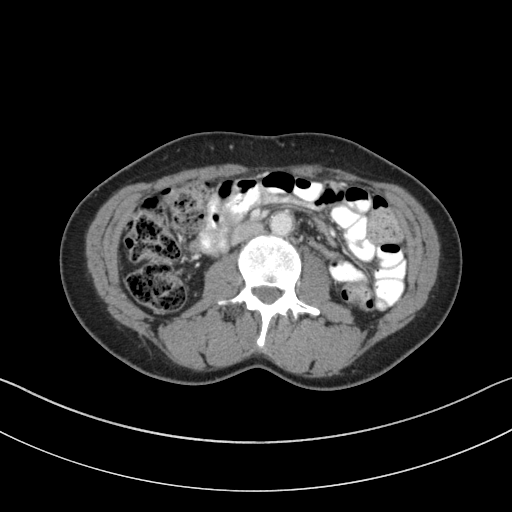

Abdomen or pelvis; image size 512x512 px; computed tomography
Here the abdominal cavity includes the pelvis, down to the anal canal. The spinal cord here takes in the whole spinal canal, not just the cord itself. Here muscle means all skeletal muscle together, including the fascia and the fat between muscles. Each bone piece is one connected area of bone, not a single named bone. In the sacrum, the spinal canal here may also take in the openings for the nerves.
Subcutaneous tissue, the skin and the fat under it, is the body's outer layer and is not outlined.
{"spinal_cord":[[[265,303],[271,303],[273,302],[281,295],[281,291],[279,289],[275,287],[268,287],[267,286],[261,286],[260,287],[257,287],[255,288],[253,292],[254,294],[256,296],[257,296],[259,299],[260,299],[263,302]]],"torso":[[[325,391],[356,386],[391,369],[440,327],[454,303],[462,274],[460,237],[445,206],[415,176],[363,145],[330,133],[199,131],[163,143],[125,165],[74,208],[59,247],[62,287],[81,326],[113,356],[143,374],[177,384],[210,384],[261,368],[296,386]]],"bones":[{"outer":[[259,347],[275,314],[287,317],[290,310],[293,319],[304,312],[319,314],[316,307],[295,294],[301,273],[299,253],[287,240],[272,234],[260,234],[242,246],[237,265],[244,286],[234,297],[217,301],[218,305],[244,302],[247,309],[259,313]],"hole":[[265,303],[271,303],[273,302],[281,295],[281,291],[279,289],[275,287],[268,287],[267,286],[261,286],[260,287],[257,287],[255,288],[253,292],[254,294],[256,296],[257,296],[259,299],[260,299],[263,302]]}],"muscle":[{"outer":[[304,377],[342,374],[378,341],[409,323],[426,303],[437,278],[440,243],[432,219],[409,192],[396,184],[319,165],[247,167],[225,163],[127,185],[100,207],[85,236],[85,255],[96,291],[114,319],[150,340],[174,363],[195,371],[212,371],[262,356]],"hole":[[259,347],[275,314],[319,314],[294,290],[302,245],[324,259],[331,299],[361,325],[401,297],[406,238],[385,194],[273,170],[190,179],[135,206],[118,247],[126,295],[170,318],[200,298],[208,266],[236,251],[244,286],[217,304],[244,302],[259,313]]}],"abdominal_cavity":[[[361,325],[389,310],[407,286],[404,232],[386,195],[372,188],[281,170],[195,178],[154,190],[123,224],[120,285],[155,317],[179,314],[200,298],[203,273],[211,263],[238,253],[260,233],[272,233],[297,249],[306,245],[324,259],[332,280],[331,299]]]}